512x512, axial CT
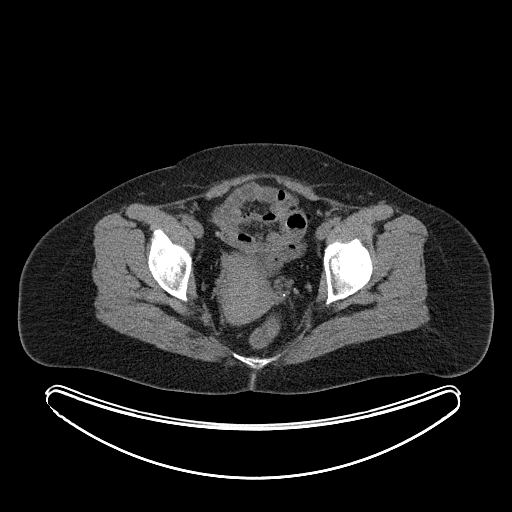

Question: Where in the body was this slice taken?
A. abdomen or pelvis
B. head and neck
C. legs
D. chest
Answer: A. abdomen or pelvis
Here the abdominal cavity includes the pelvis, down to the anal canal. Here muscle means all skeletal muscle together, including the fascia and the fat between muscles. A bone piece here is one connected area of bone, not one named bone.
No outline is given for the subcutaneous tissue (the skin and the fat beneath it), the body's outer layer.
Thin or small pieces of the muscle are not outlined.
Outlined structures:
bones 1: (356, 237) (361, 241) (369, 253) (371, 262) (372, 263) (372, 273) (371, 276) (367, 283) (356, 292) (342, 299) (333, 301) (327, 305) (325, 303) (327, 298) (327, 282) (326, 281) (325, 271) (323, 267) (324, 248) (331, 242) (334, 241) (348, 242) (353, 238)
bones 2: (157, 228) (160, 228) (168, 236) (173, 243) (183, 246) (189, 252) (192, 257) (192, 270) (189, 274) (187, 282) (187, 289) (186, 290) (187, 301) (183, 301) (179, 298) (171, 295) (164, 290) (154, 279) (149, 269) (148, 266) (148, 254) (151, 244) (150, 238) (153, 230)
bones 3: (233, 352) (235, 352) (243, 356) (252, 356) (253, 357) (261, 357) (262, 358) (263, 357) (271, 357) (277, 354) (280, 354) (280, 356) (277, 359) (268, 363) (263, 367) (259, 369) (256, 369) (255, 368) (252, 368) (250, 367) (247, 364) (234, 357) (232, 354)
abdominal cavity: (258, 179) (272, 179) (310, 200) (324, 202) (346, 216) (327, 232) (317, 294) (291, 336) (267, 353) (246, 354) (229, 344) (216, 329) (208, 307) (197, 294) (192, 256) (194, 238) (185, 223) (171, 211) (184, 209) (186, 203) (196, 199) (209, 200) (221, 196) (233, 186)
torso: (248, 142) (297, 144) (324, 151) (460, 220) (483, 248) (492, 273) (493, 328) (482, 360) (454, 377) (426, 373) (387, 376) (303, 394) (251, 390) (197, 394) (158, 389) (95, 370) (45, 366) (31, 359) (18, 334) (18, 282) (39, 238) (65, 216) (133, 177) (204, 148)
muscle: (260, 172) (314, 185) (317, 193) (346, 204) (388, 201) (419, 219) (428, 232) (423, 255) (430, 319) (303, 362) (265, 367) (280, 353) (262, 357) (233, 351) (249, 367) (226, 365) (164, 350) (99, 321) (91, 270) (93, 227) (102, 215) (130, 202) (175, 201) (215, 182); inner edge: (258, 179) (272, 179) (345, 214) (325, 244) (358, 238) (372, 273) (356, 292) (327, 305) (323, 269) (317, 294) (291, 336) (267, 353) (246, 354) (216, 329) (197, 294) (194, 271) (183, 301) (154, 279) (148, 254) (152, 232) (160, 228) (192, 256) (194, 238) (171, 211)